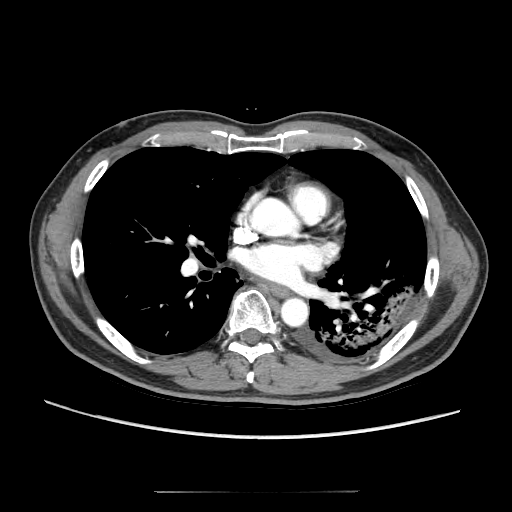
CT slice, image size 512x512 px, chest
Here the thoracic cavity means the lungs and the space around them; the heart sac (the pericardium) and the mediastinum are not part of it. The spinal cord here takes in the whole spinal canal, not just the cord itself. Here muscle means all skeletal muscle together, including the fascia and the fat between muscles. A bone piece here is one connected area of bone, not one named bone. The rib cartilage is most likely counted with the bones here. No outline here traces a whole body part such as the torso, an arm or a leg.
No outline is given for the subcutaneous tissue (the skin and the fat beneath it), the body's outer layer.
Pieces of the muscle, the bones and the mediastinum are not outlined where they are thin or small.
Outlines (x, y in pixels):
muscle: 192 120; 229 124; 248 135; 220 128; 155 132; 140 143; 141 147; 110 165; 108 157; 101 159; 83 186; 83 192; 89 195; 81 237; 75 235; 69 247; 72 274; 76 280; 84 274; 101 314; 93 317; 97 328; 126 357; 139 364; 151 364; 153 360; 138 349; 159 355; 185 353; 219 335; 219 348; 238 353; 250 364; 275 350; 285 352; 285 341; 309 356; 332 362; 357 360; 377 351; 374 360; 362 368; 368 371; 389 360; 412 337; 421 318; 413 317; 404 324; 406 317; 422 289; 427 299; 434 295; 440 275; 438 256; 427 254; 423 220; 429 219; 429 212; 421 190; 410 175; 406 173; 403 180; 366 151; 368 145; 355 135; 306 128; 256 135; 295 120; 335 123; 359 131; 409 161; 428 181; 449 222; 467 236; 478 255; 477 280; 461 313; 430 342; 380 371; 343 383; 339 389; 289 395; 264 393; 251 385; 234 390; 187 388; 122 359; 92 340; 62 314; 42 279; 37 246; 43 217; 54 210; 73 177; 100 149; 159 123, around a hole outlined by 250 370; 252 370; 253 371; 253 381; 251 383; 250 383; 249 382; 248 382; 247 381; 247 380; 246 379; 246 374
pericardium: 288 169; 301 172; 310 178; 319 181; 339 196; 342 200; 346 224; 343 244; 338 259; 328 266; 323 276; 317 279; 315 283; 298 285; 296 287; 268 281; 242 269; 233 258; 229 238; 232 218; 244 199; 253 190; 261 186; 266 180
mediastinum 1: 233 214; 228 238; 229 239; 232 258; 242 270; 252 276; 290 288; 308 286; 318 280; 319 288; 309 299; 307 327; 291 333; 284 332; 279 322; 274 319; 270 303; 264 294; 252 286; 246 289; 240 287; 243 281; 238 279; 237 271; 226 264; 228 235
mediastinum 2: 287 163; 294 168; 301 171; 299 171; 292 168; 288 168; 287 169; 284 169; 275 175; 266 179; 263 182; 263 183; 261 184; 261 185; 253 189; 243 199; 241 202; 241 204; 238 208; 245 193; 250 186; 253 186; 258 184; 267 176
bones 1: 212 129; 220 129; 239 136; 261 137; 273 136; 291 129; 306 129; 310 132; 355 136; 362 140; 367 145; 367 148; 365 150; 358 150; 316 146; 292 152; 246 150; 233 153; 220 153; 193 144; 142 146; 141 143; 155 133; 208 132
bones 2: 251 287; 263 294; 269 303; 273 319; 278 322; 281 330; 286 335; 283 342; 286 347; 285 351; 275 349; 272 352; 261 354; 252 363; 238 352; 229 350; 226 347; 219 347; 222 338; 220 331; 227 318; 233 294; 239 288; 246 290; inner edge: 250 328; 252 328; 253 329; 255 329; 256 330; 257 330; 261 334; 261 339; 259 341; 258 341; 255 344; 248 344; 247 343; 246 343; 243 340; 243 338; 242 337; 242 333; 245 330; 246 330; 247 329; 249 329
bones 3: 419 317; 420 318; 419 320; 419 323; 415 331; 407 342; 397 352; 396 352; 385 362; 372 369; 365 370; 363 368; 366 365; 372 363; 373 361; 375 360; 374 354; 376 353; 380 349; 380 348; 383 346; 406 323; 413 318; 418 318
bones 4: 97 315; 101 315; 103 316; 103 317; 105 318; 122 336; 137 348; 138 352; 142 356; 144 357; 145 356; 148 357; 152 360; 152 362; 151 363; 139 363; 134 360; 132 360; 115 347; 104 336; 98 328; 94 320; 94 317
bones 5: 434 254; 437 256; 439 261; 439 275; 438 276; 437 284; 434 290; 433 295; 431 297; 427 298; 425 296; 425 292; 423 289; 423 283; 425 278; 425 273; 426 272; 426 266; 427 265; 428 256; 430 255; 433 255
bones 6: 75 236; 79 237; 81 240; 81 245; 82 246; 82 254; 83 255; 83 266; 84 267; 84 273; 82 275; 82 277; 79 277; 77 279; 75 278; 73 274; 73 271; 71 266; 71 260; 70 259; 70 247; 71 246; 71 243
bones 7: 406 174; 410 176; 413 179; 413 180; 417 185; 418 188; 420 190; 423 196; 423 198; 425 201; 425 203; 427 207; 427 211; 428 212; 428 219; 423 219; 422 218; 416 206; 416 204; 406 186; 406 184; 404 180; 404 176
bones 8: 104 158; 108 158; 109 159; 109 166; 106 169; 106 170; 103 173; 103 174; 100 177; 100 178; 96 182; 92 189; 89 192; 85 193; 83 190; 84 189; 84 186; 85 185; 86 180; 89 174; 91 172; 93 168; 101 160; 102 160
spinal cord: 250 328; 252 328; 253 329; 255 329; 256 330; 257 330; 261 334; 261 339; 259 341; 258 341; 255 344; 248 344; 247 343; 246 343; 243 340; 243 338; 242 337; 242 333; 245 330; 246 330; 247 329; 249 329
thoracic cavity: 183 145; 287 160; 341 148; 389 166; 426 239; 422 288; 403 325; 357 359; 309 355; 286 340; 308 327; 347 227; 343 199; 287 162; 250 185; 230 216; 225 264; 242 284; 219 334; 185 352; 136 347; 89 289; 86 207; 121 157